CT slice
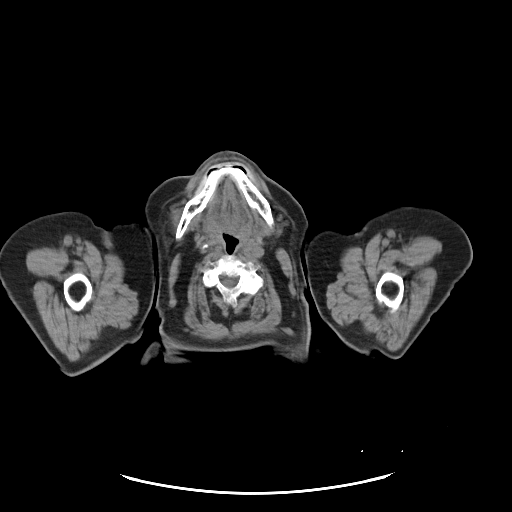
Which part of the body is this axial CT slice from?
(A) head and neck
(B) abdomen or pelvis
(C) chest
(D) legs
Answer: (A) head and neck
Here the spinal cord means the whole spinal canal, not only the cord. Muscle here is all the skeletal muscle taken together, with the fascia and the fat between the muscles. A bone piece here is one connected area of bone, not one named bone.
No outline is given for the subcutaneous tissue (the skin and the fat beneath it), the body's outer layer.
{"spinal_cord":[[[223,274],[224,275],[225,275],[226,276],[228,276],[229,277],[234,277],[235,276],[238,277],[238,280],[237,281],[236,284],[232,287],[227,287],[226,286],[225,286],[221,282],[221,281],[220,280],[220,278],[219,277],[219,276],[220,275],[222,275]]],"muscle":[{"outer":[[224,156],[238,157],[247,162],[265,182],[271,194],[286,209],[294,221],[295,243],[293,254],[296,263],[297,273],[297,299],[292,316],[292,325],[296,332],[295,336],[286,334],[282,335],[257,334],[250,335],[247,337],[241,337],[230,341],[224,340],[209,342],[190,336],[183,332],[178,325],[170,309],[167,292],[167,256],[164,237],[159,223],[160,211],[166,201],[185,186],[189,180],[195,176],[208,162],[215,158]],"holes":[[[224,161],[239,162],[248,170],[254,184],[269,202],[274,221],[272,227],[267,224],[256,209],[249,206],[244,195],[238,189],[232,178],[229,175],[224,175],[219,180],[205,207],[190,220],[183,235],[177,240],[175,233],[186,202],[194,195],[209,167]],[[224,234],[237,240],[231,253],[243,262],[252,261],[259,265],[256,271],[263,278],[263,285],[254,294],[241,293],[237,297],[235,307],[223,300],[222,295],[216,287],[207,287],[204,285],[202,281],[202,271],[200,269],[206,261],[215,261],[228,252]]]},{"outer":[[66,233],[84,235],[103,248],[117,254],[123,260],[128,284],[138,293],[140,310],[135,323],[129,328],[104,339],[83,358],[72,362],[69,361],[54,346],[40,320],[34,302],[32,300],[25,266],[25,255],[29,249],[38,247],[40,245],[55,243]],"hole":[[75,272],[81,272],[83,273],[89,279],[92,286],[92,295],[91,296],[91,299],[85,305],[83,309],[82,309],[80,311],[75,311],[73,310],[68,305],[65,300],[64,294],[63,293],[63,281],[68,276],[69,276],[72,273],[74,273]]},{"outer":[[388,228],[393,229],[405,237],[419,235],[433,236],[442,243],[442,252],[435,263],[438,278],[432,297],[403,345],[395,351],[391,351],[340,326],[332,318],[327,308],[325,295],[326,284],[334,275],[340,255],[344,249],[351,246],[359,246],[380,230]],"hole":[[386,271],[391,271],[392,272],[397,273],[399,274],[403,278],[403,297],[402,298],[401,303],[398,309],[394,312],[390,312],[390,310],[389,308],[385,305],[383,304],[379,304],[375,296],[375,288],[376,287],[376,285],[382,273]]}],"left_arm":[[[398,206],[428,207],[453,219],[467,234],[473,257],[463,277],[455,284],[445,302],[404,355],[391,359],[374,351],[377,359],[370,360],[344,345],[321,318],[307,282],[305,243],[307,238],[311,238],[323,229],[332,229],[346,234],[353,233],[376,214]]],"right_arm":[[[68,210],[87,214],[96,225],[105,229],[119,223],[137,222],[144,225],[146,222],[154,243],[156,271],[154,299],[139,339],[123,347],[95,367],[75,376],[65,375],[59,370],[54,360],[8,298],[0,280],[0,248],[7,238],[18,227],[36,217]]],"bones":[[[224,161],[239,162],[248,170],[254,184],[269,202],[274,221],[272,227],[267,224],[256,209],[249,206],[244,195],[238,189],[232,178],[229,175],[224,175],[219,180],[205,207],[190,220],[183,235],[177,240],[175,233],[186,202],[194,195],[209,167]],{"outer":[[227,253],[233,254],[243,262],[252,261],[259,265],[259,268],[256,271],[263,278],[263,285],[254,294],[241,293],[237,297],[237,304],[235,307],[223,300],[222,295],[216,287],[207,287],[204,285],[202,281],[202,271],[200,269],[206,261],[215,261]],"hole":[[223,274],[224,275],[225,275],[226,276],[228,276],[229,277],[234,277],[235,276],[238,277],[238,280],[237,281],[236,284],[232,287],[227,287],[226,286],[225,286],[221,282],[221,281],[220,280],[220,278],[219,277],[219,276],[220,275],[222,275]]},[[386,271],[391,271],[392,272],[397,273],[399,274],[403,278],[403,297],[402,298],[401,303],[398,309],[394,312],[390,312],[390,310],[389,308],[385,305],[383,304],[379,304],[375,296],[375,288],[376,287],[376,285],[382,273]],[[75,272],[81,272],[83,273],[89,279],[92,286],[92,295],[91,296],[91,299],[85,305],[83,309],[82,309],[80,311],[75,311],[73,310],[68,305],[65,300],[64,294],[63,293],[63,281],[68,276],[69,276],[72,273],[74,273]]],"head_and_neck":[{"outer":[[220,150],[250,158],[305,213],[304,294],[327,361],[323,365],[296,365],[275,357],[269,347],[189,353],[194,362],[176,365],[166,364],[160,353],[144,367],[138,363],[148,344],[160,337],[157,250],[144,214],[146,199],[164,180],[193,173]],"hole":[[224,234],[226,234],[229,236],[231,236],[232,237],[233,237],[234,238],[235,238],[237,240],[237,243],[235,245],[235,246],[234,247],[234,248],[233,249],[233,250],[231,252],[231,253],[229,253],[227,251],[227,250],[226,249],[226,242],[224,239]]}]}